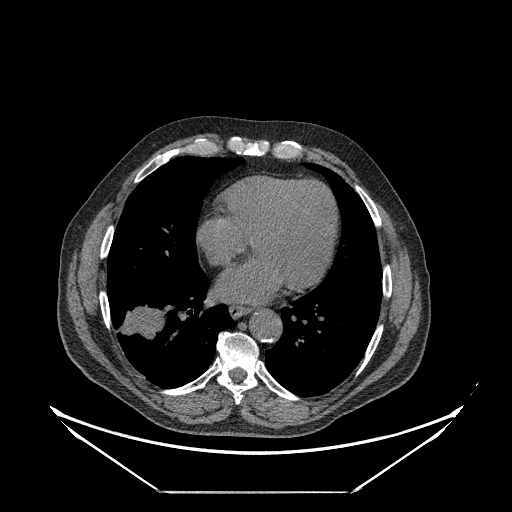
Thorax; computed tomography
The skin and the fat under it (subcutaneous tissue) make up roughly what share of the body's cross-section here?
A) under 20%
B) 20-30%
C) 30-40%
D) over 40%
A) under 20%
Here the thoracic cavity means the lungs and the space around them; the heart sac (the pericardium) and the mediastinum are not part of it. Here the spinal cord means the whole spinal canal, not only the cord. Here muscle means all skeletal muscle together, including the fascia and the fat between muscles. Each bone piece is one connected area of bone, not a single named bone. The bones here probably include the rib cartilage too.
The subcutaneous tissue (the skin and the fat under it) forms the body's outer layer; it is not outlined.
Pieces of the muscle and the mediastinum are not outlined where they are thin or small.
Outlines (x, y in pixels):
muscle: (208, 132) (227, 137) (224, 140) (196, 137) (150, 158) (136, 173) (136, 185) (116, 225) (106, 227) (99, 248) (99, 258) (106, 259) (106, 287) (98, 291) (104, 326) (112, 326) (128, 361) (160, 388) (161, 395) (185, 395) (214, 380) (231, 392) (236, 405) (244, 391) (260, 383) (279, 397) (298, 402) (328, 393) (356, 368) (356, 378) (382, 337) (381, 303) (392, 294) (393, 278) (390, 264) (381, 262) (376, 229) (382, 226) (382, 217) (374, 200) (358, 183) (352, 186) (329, 167) (301, 158) (306, 151) (302, 144) (328, 151) (354, 171) (395, 222) (418, 277) (421, 311) (400, 359) (310, 422) (274, 428) (251, 423) (236, 411) (211, 423) (176, 420) (139, 398) (90, 354) (68, 311) (69, 264) (96, 214) (158, 149)
pericardium: (261, 169) (278, 172) (308, 173) (325, 181) (334, 195) (339, 210) (340, 236) (330, 267) (319, 283) (311, 290) (283, 305) (258, 305) (250, 307) (247, 305) (227, 303) (218, 298) (212, 289) (212, 283) (199, 263) (196, 232) (198, 220) (203, 208) (222, 184) (239, 175)
thoracic cavity 1: (182, 155) (243, 159) (216, 178) (207, 189) (195, 232) (197, 259) (209, 280) (208, 291) (215, 294) (218, 304) (226, 305) (235, 325) (218, 332) (216, 355) (203, 372) (181, 385) (161, 388) (132, 365) (118, 340) (106, 290) (107, 258) (115, 228) (131, 192) (159, 167)
thoracic cavity 2: (306, 162) (334, 171) (353, 188) (364, 204) (377, 238) (382, 266) (382, 297) (375, 328) (358, 365) (328, 392) (303, 397) (281, 384) (261, 358) (282, 336) (281, 309) (290, 308) (292, 301) (320, 283) (334, 261) (340, 241) (341, 214) (329, 180) (322, 173) (306, 167)
mediastinum 1: (224, 303) (247, 306) (250, 308) (258, 306) (283, 306) (290, 303) (290, 307) (283, 306) (280, 309) (281, 321) (283, 324) (281, 336) (272, 347) (265, 350) (263, 358) (260, 356) (260, 348) (253, 337) (242, 331) (229, 330) (236, 325) (236, 322) (230, 315) (227, 305)
mediastinum 2: (227, 153) (258, 157) (269, 155) (282, 160) (303, 159) (306, 161) (303, 165) (322, 174) (328, 180) (328, 184) (322, 178) (308, 172) (252, 169) (222, 183) (206, 201) (200, 214) (204, 196) (213, 182) (244, 161) (241, 156) (218, 156) (216, 155) (218, 154)
torso: (201, 115) (304, 121) (346, 135) (359, 144) (385, 174) (422, 241) (430, 276) (431, 321) (418, 368) (398, 388) (317, 432) (291, 438) (264, 438) (193, 435) (165, 429) (88, 379) (63, 347) (57, 326) (56, 300) (60, 248) (69, 221) (100, 180) (142, 137) (168, 122)
bones 1: (223, 330) (242, 332) (253, 338) (266, 369) (281, 385) (299, 396) (300, 400) (281, 397) (260, 382) (257, 386) (244, 390) (240, 402) (236, 404) (232, 392) (214, 379) (203, 388) (185, 394) (161, 394) (161, 389) (175, 388) (192, 381) (212, 364) (217, 355) (218, 334) with a hole at (238, 367) (239, 368) (241, 368) (245, 372) (245, 377) (240, 382) (235, 382) (230, 377) (230, 376) (229, 375) (229, 372) (231, 370) (232, 370) (233, 369) (234, 369) (235, 368) (237, 368)
bones 2: (230, 136) (239, 136) (251, 142) (263, 139) (271, 142) (293, 140) (300, 143) (305, 149) (300, 158) (282, 159) (269, 154) (245, 155) (227, 150) (210, 156) (180, 154) (172, 157) (138, 183) (133, 182) (139, 170) (158, 154) (182, 147) (196, 138) (204, 137) (224, 141)
bones 3: (378, 322) (383, 323) (383, 325) (384, 326) (383, 327) (383, 331) (379, 340) (379, 342) (372, 356) (368, 361) (365, 367) (362, 371) (356, 377) (355, 377) (354, 376) (355, 371) (357, 369) (361, 360) (364, 356) (366, 348) (374, 333) (374, 331)
bones 4: (354, 184) (358, 184) (360, 186) (361, 186) (366, 191) (366, 192) (375, 203) (375, 205) (377, 208) (377, 210) (381, 217) (381, 226) (380, 227) (376, 228) (374, 226) (373, 221) (370, 216) (370, 214) (365, 204) (363, 202) (360, 196) (353, 187) (353, 185)
bones 5: (101, 289) (105, 290) (106, 291) (106, 294) (107, 295) (108, 305) (109, 306) (109, 313) (110, 314) (110, 319) (111, 320) (111, 325) (110, 326) (110, 329) (107, 329) (107, 328) (105, 326) (105, 324) (103, 320) (103, 317) (101, 313) (100, 302) (99, 301) (99, 291)
bones 6: (386, 263) (388, 263) (390, 266) (390, 269) (391, 270) (391, 277) (392, 278) (392, 283) (391, 284) (391, 294) (388, 299) (385, 299) (384, 298) (383, 298) (383, 295) (382, 294) (382, 278) (383, 277) (383, 269) (382, 268) (383, 267) (383, 265) (384, 265)
bones 7: (110, 224) (113, 224) (115, 227) (114, 228) (114, 232) (113, 233) (112, 241) (111, 242) (111, 244) (109, 248) (109, 251) (108, 252) (107, 257) (106, 258) (101, 259) (100, 258) (100, 248) (101, 247) (101, 243) (102, 242) (104, 234) (107, 229) (107, 227)
spinal cord: (238, 367) (239, 368) (241, 368) (245, 372) (245, 377) (240, 382) (235, 382) (230, 377) (230, 376) (229, 375) (229, 372) (231, 370) (232, 370) (233, 369) (234, 369) (235, 368) (237, 368)